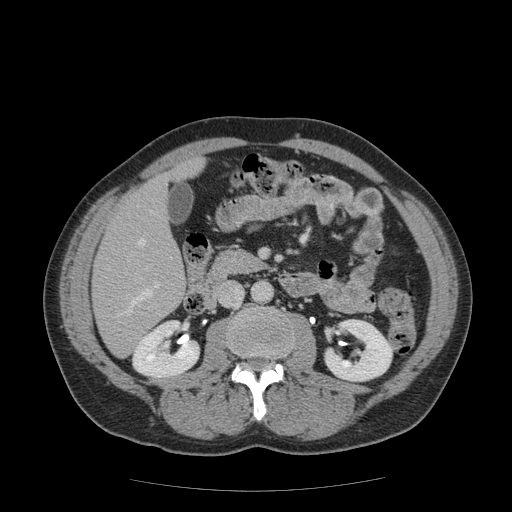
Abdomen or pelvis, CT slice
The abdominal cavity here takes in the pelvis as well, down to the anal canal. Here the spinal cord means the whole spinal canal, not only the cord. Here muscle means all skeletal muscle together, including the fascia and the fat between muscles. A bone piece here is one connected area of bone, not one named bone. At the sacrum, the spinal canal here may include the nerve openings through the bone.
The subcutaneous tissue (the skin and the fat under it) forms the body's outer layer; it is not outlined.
The spinal cord is outlined by [[251,357],[263,357],[265,359],[266,359],[267,360],[267,362],[265,364],[265,365],[264,366],[264,367],[258,373],[256,373],[254,371],[253,371],[250,368],[250,367],[248,364],[248,362],[247,361],[247,360],[248,359],[248,358],[250,358]]. The torso is outlined by [[220,115],[311,117],[348,128],[415,177],[446,213],[470,271],[471,320],[445,387],[427,415],[410,430],[373,445],[321,455],[252,447],[217,457],[188,456],[112,435],[74,401],[51,349],[42,305],[47,263],[63,225],[90,187],[143,145],[181,124]]. The bones are outlined by [[255,306],[274,307],[284,314],[288,330],[286,335],[292,342],[289,352],[277,359],[284,366],[284,380],[269,384],[262,394],[267,411],[260,421],[253,416],[253,398],[249,388],[231,380],[230,373],[239,357],[228,348],[226,336],[230,318],[241,310]]; inner edge: [[251,357],[263,357],[265,359],[266,359],[267,360],[267,362],[265,364],[265,365],[264,366],[264,367],[258,373],[256,373],[254,371],[253,371],[250,368],[250,367],[248,364],[248,362],[247,361],[247,360],[248,359],[248,358],[250,358]]. The muscle is outlined by [[221,136],[238,137],[249,141],[274,142],[299,136],[305,138],[318,139],[340,146],[369,163],[386,178],[390,187],[394,189],[406,190],[421,200],[429,208],[439,222],[450,245],[458,273],[459,294],[453,327],[445,345],[406,389],[388,399],[383,400],[370,408],[354,424],[327,437],[304,441],[294,436],[278,435],[259,423],[253,423],[248,426],[244,431],[237,435],[232,436],[220,434],[213,439],[200,439],[178,433],[168,425],[161,417],[156,416],[141,399],[116,387],[112,383],[107,383],[107,378],[74,349],[70,344],[64,328],[61,326],[62,319],[59,307],[58,284],[63,257],[74,230],[99,194],[109,186],[133,177],[143,170],[152,161],[176,147],[199,139]] with a hole at [[240,146],[281,146],[311,152],[379,184],[409,225],[430,282],[421,340],[395,372],[374,385],[350,383],[315,369],[317,346],[308,318],[286,313],[286,335],[292,346],[277,359],[284,366],[284,380],[265,388],[262,397],[267,411],[260,421],[253,416],[249,388],[230,377],[239,357],[227,346],[229,317],[215,319],[207,326],[197,367],[161,381],[144,380],[122,369],[100,345],[87,291],[103,224],[137,188],[190,154]]. The abdominal cavity is outlined by [[240,146],[281,146],[339,162],[379,184],[403,216],[427,268],[430,299],[423,336],[395,372],[363,385],[315,369],[317,346],[308,318],[269,305],[212,321],[200,364],[161,381],[132,375],[104,351],[87,291],[103,224],[137,188],[174,162],[195,152]].